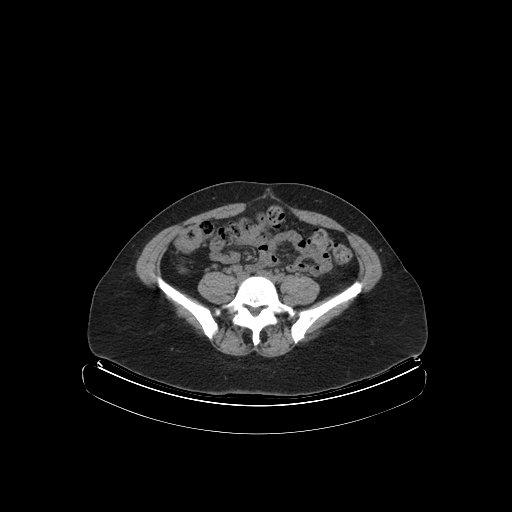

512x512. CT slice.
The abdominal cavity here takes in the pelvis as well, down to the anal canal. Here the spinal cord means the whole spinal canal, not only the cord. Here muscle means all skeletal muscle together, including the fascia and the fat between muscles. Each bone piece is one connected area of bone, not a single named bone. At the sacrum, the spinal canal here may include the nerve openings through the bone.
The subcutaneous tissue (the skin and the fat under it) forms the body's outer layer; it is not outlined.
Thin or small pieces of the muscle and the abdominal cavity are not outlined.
Outlines:
abdominal cavity: 264,199 281,204 300,221 345,235 359,266 349,285 315,301 320,292 316,281 286,274 278,287 281,301 274,282 265,275 249,275 237,287 232,275 215,270 197,283 209,305 162,276 161,260 185,226 235,216
spinal cord: 244,303 247,303 249,305 249,306 250,307 252,307 253,308 257,308 258,307 259,307 261,305 265,305 266,306 266,308 265,309 261,309 256,315 253,315 251,313 250,310 248,308 245,308 243,306 243,304
bones: 155,275 213,314 253,275 273,282 278,299 296,311 318,306 356,280 363,286 320,316 297,343 291,326 298,315 284,312 261,329 254,345 252,331 233,324 234,314 226,309 213,315 218,328 209,339; inner edge: 244,303 247,303 249,305 249,306 250,307 252,307 253,308 257,308 258,307 259,307 261,305 265,305 266,306 266,308 265,309 261,309 256,315 253,315 251,313 250,310 248,308 245,308 243,306 243,304
torso: 233,180 309,184 332,192 360,209 376,225 421,289 428,339 418,357 410,358 375,377 339,389 289,397 246,393 209,395 185,391 146,379 94,355 88,347 86,337 92,294 122,247 146,222 174,201 203,187
muscle 1: 267,188 271,188 280,199 291,206 298,209 314,211 326,215 335,220 348,230 357,234 363,238 376,252 381,263 382,275 378,282 367,294 358,299 347,308 336,320 333,321 324,330 323,333 321,333 317,337 307,342 298,344 287,353 274,357 265,357 258,354 256,352 251,352 246,355 243,355 242,356 234,356 229,354 225,354 215,349 209,342 197,335 180,317 176,315 173,307 158,291 155,289 152,289 145,285 140,280 135,272 135,264 145,245 161,230 171,225 179,223 194,215 223,205 226,205 231,203 237,203 238,202 247,202 258,196 260,196 with a hole at 264,199 281,204 300,221 343,233 363,286 320,316 297,343 291,336 296,313 278,314 254,345 252,331 233,324 234,314 226,309 213,315 218,328 209,339 154,276 162,275 161,260 185,226 235,216
muscle 2: 286,275 302,275 311,278 316,282 319,286 319,292 316,298 314,300 315,302 321,300 327,296 335,294 328,299 323,301 318,305 305,307 296,310 292,306 282,302 283,301 283,298 279,290 279,287 282,278
muscle 3: 215,271 221,272 228,276 232,276 237,282 235,288 235,293 232,299 220,306 217,306 214,309 213,313 206,305 202,304 193,300 184,293 197,299 200,302 203,304 209,306 211,305 212,304 204,298 198,291 198,283 206,273